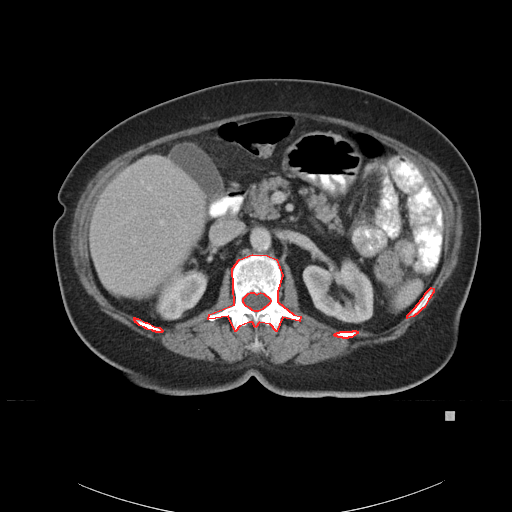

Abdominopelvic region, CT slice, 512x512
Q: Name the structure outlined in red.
A: red: bones.
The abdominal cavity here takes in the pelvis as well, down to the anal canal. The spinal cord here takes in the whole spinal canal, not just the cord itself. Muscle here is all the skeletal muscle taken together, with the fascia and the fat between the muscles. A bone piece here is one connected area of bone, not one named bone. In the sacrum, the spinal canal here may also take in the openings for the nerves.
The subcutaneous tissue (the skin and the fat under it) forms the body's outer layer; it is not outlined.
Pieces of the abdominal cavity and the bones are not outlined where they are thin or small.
Outlined structures:
bones 1: 252 254; 267 255; 276 259; 282 275; 277 291; 277 301; 293 314; 300 316; 299 321; 282 317; 276 331; 270 324; 259 322; 255 327; 252 322; 249 322; 239 326; 235 331; 228 316; 208 319; 209 314; 234 304; 232 268; 239 259; inner edge: 250 292; 253 292; 256 294; 260 292; 263 293; 269 298; 270 300; 269 303; 262 309; 258 311; 254 311; 252 310; 250 308; 246 306; 243 302; 243 298; 248 293
bones 2: 431 287; 433 288; 433 292; 430 296; 430 297; 428 299; 424 307; 422 308; 416 314; 415 314; 413 316; 407 318; 407 315; 416 306; 416 305; 423 297; 425 293
bones 3: 134 317; 135 318; 138 318; 145 322; 147 322; 154 326; 159 327; 162 330; 162 331; 161 332; 156 332; 155 331; 153 331; 152 330; 147 329; 146 328; 145 328; 144 327; 139 325; 136 322; 135 322; 135 321; 134 320
bones 4: 353 330; 355 330; 356 331; 357 331; 357 333; 351 337; 348 337; 347 338; 343 338; 342 337; 338 337; 337 336; 335 336; 334 335; 334 334; 335 333; 336 333; 337 332; 339 332; 340 331; 352 331
torso: 251 78; 321 80; 381 95; 434 125; 470 166; 481 209; 477 264; 455 351; 425 381; 361 398; 312 398; 273 392; 251 376; 225 391; 168 395; 128 381; 74 331; 52 245; 53 225; 63 210; 57 193; 71 167; 103 133; 139 111
abdominal cavity: 263 115; 298 116; 370 134; 425 177; 442 211; 441 263; 430 287; 393 325; 377 332; 339 330; 303 312; 289 267; 283 278; 277 259; 262 253; 243 256; 225 270; 211 307; 169 327; 120 309; 98 287; 87 237; 104 184; 158 145
spinal cord: 250 292; 253 292; 256 294; 260 292; 263 293; 269 298; 270 300; 269 303; 262 309; 258 311; 254 311; 252 310; 250 308; 246 306; 243 302; 243 298; 248 293
muscle: 268 110; 297 111; 298 112; 305 112; 311 114; 319 114; 320 115; 331 116; 348 120; 371 128; 380 133; 392 137; 404 143; 406 145; 417 150; 420 153; 433 161; 447 175; 455 188; 458 199; 461 204; 461 210; 462 211; 461 212; 461 216; 462 217; 462 235; 461 236; 461 245; 458 254; 457 264; 448 279; 437 292; 435 298; 425 310; 424 314; 411 324; 407 328; 406 331; 396 339; 389 340; 379 344; 365 345; 345 356; 307 365; 300 365; 299 366; 276 365; 265 360; 264 361; 261 357; 248 357; 242 361; 230 364; 228 363; 211 363; 207 361; 191 359; 175 354; 168 350; 159 342; 153 341; 149 338; 132 330; 124 324; 103 312; 100 309; 98 304; 86 292; 83 286; 80 283; 73 265; 72 256; 70 252; 71 226; 73 222; 74 211; 81 193; 85 189; 85 187; 89 180; 94 176; 98 170; 118 155; 158 137; 170 134; 186 128; 197 126; 201 124; 204 124; 215 120; 219 120; 234 115; 238 115; 248 112; 267 111 with holes at 263 115; 298 116; 370 134; 419 168; 442 211; 443 243; 441 263; 430 286; 433 292; 416 314; 381 331; 358 329; 351 337; 335 336; 338 329; 300 309; 287 265; 277 301; 301 319; 282 317; 276 331; 262 322; 256 327; 249 322; 235 331; 228 316; 208 319; 235 302; 230 268; 211 307; 162 326; 161 332; 139 325; 104 295; 91 269; 87 237; 94 199; 104 184; 136 156; 158 145 and at 256 334; 257 335; 257 338; 258 339; 258 340; 261 343; 261 346; 258 346; 257 347; 254 347; 253 346; 252 346; 252 345; 253 344; 253 343; 254 342; 254 338; 255 337; 255 335